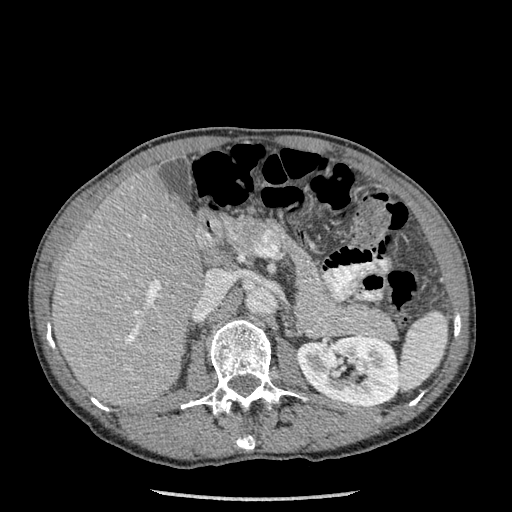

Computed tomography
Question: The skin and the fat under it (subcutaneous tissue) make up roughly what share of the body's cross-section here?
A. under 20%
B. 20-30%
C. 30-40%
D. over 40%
Answer: A. under 20%
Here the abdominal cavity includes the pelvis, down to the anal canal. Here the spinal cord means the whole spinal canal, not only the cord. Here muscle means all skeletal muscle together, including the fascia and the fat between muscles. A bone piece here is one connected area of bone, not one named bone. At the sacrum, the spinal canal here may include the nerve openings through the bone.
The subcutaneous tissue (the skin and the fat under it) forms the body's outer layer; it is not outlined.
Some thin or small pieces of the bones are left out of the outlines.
bones 1: [[238,318],[262,328],[269,339],[271,381],[280,388],[304,394],[308,400],[282,395],[270,410],[260,398],[247,411],[234,401],[228,413],[221,412],[216,416],[207,404],[180,408],[182,403],[200,398],[217,385],[209,355],[210,340],[220,326]]; inner edge: [[246,374],[250,374],[251,375],[253,375],[256,378],[259,379],[260,383],[259,385],[258,385],[248,395],[244,396],[243,395],[241,395],[239,393],[235,391],[232,388],[231,388],[228,384],[229,382],[234,377],[238,375],[242,376]]
bones 2: [[245,434],[250,434],[253,437],[253,438],[255,440],[255,446],[254,447],[254,448],[252,450],[246,450],[245,449],[243,449],[242,448],[240,448],[239,447],[238,447],[237,446],[237,445],[236,444],[236,440],[238,438],[239,438],[240,437],[242,437]]
bones 3: [[91,395],[92,396],[93,396],[95,398],[96,398],[101,403],[102,403],[104,405],[105,405],[106,406],[113,409],[113,410],[112,411],[109,411],[108,412],[107,412],[106,411],[99,408],[97,406],[96,406],[91,401],[91,400],[90,399],[90,396]]
bones 4: [[424,389],[426,389],[427,390],[426,391],[426,392],[422,396],[422,397],[418,401],[418,402],[416,404],[415,404],[414,405],[413,405],[412,406],[408,406],[408,403],[411,400],[412,400],[416,396],[417,396],[418,395],[418,394],[422,390],[423,390]]
abdominal cavity: [[244,139],[316,151],[406,203],[452,314],[442,366],[409,401],[362,407],[314,392],[293,346],[278,337],[270,369],[266,332],[240,317],[209,340],[215,373],[197,339],[185,386],[137,408],[104,404],[72,375],[56,346],[50,298],[85,224],[144,167]]
torso: [[208,126],[302,128],[347,138],[371,149],[414,179],[444,211],[462,242],[472,274],[476,344],[463,379],[424,426],[378,448],[322,461],[251,459],[170,468],[100,439],[54,392],[35,353],[27,306],[31,263],[49,222],[78,187],[135,146],[167,133]]
spinal cord: [[246,374],[250,374],[251,375],[253,375],[256,378],[259,379],[260,383],[259,385],[258,385],[248,395],[244,396],[243,395],[241,395],[239,393],[235,391],[232,388],[231,388],[228,384],[229,382],[234,377],[238,375],[242,376]]
muscle: [[204,135],[227,136],[228,137],[235,137],[239,135],[263,135],[264,136],[297,135],[298,136],[318,138],[339,145],[342,145],[361,152],[383,165],[392,173],[400,177],[417,189],[435,208],[449,229],[458,247],[465,269],[468,287],[468,296],[469,297],[469,326],[468,327],[469,338],[468,339],[467,352],[462,363],[459,366],[457,372],[444,390],[435,400],[418,415],[405,423],[394,426],[380,434],[373,435],[368,438],[362,439],[354,443],[351,443],[344,446],[340,446],[334,449],[311,451],[310,452],[298,451],[286,453],[252,451],[245,453],[235,453],[228,456],[218,458],[202,458],[195,460],[183,460],[168,457],[155,452],[152,452],[139,446],[137,444],[134,444],[130,441],[122,438],[110,429],[104,427],[96,418],[78,405],[62,388],[53,374],[43,352],[42,344],[36,327],[36,321],[34,315],[34,299],[33,298],[34,279],[40,255],[44,244],[53,226],[70,203],[78,195],[104,178],[108,174],[111,173],[131,157],[144,150],[161,143],[176,139],[194,136],[203,136]] with holes at [[244,139],[316,151],[387,185],[406,203],[438,263],[451,316],[459,312],[461,319],[457,338],[451,337],[441,368],[416,404],[352,406],[314,392],[293,346],[278,337],[271,381],[308,400],[282,395],[270,410],[260,398],[247,411],[234,401],[228,413],[216,416],[207,404],[181,409],[218,382],[207,368],[205,343],[197,339],[183,388],[137,408],[107,412],[91,401],[58,348],[48,344],[59,266],[107,195],[144,167]] and at [[245,434],[250,434],[253,437],[253,438],[255,440],[255,446],[254,447],[254,448],[252,450],[246,450],[245,449],[243,449],[242,448],[240,448],[239,447],[238,447],[237,446],[237,445],[236,444],[236,440],[238,438],[239,438],[240,437],[242,437]]